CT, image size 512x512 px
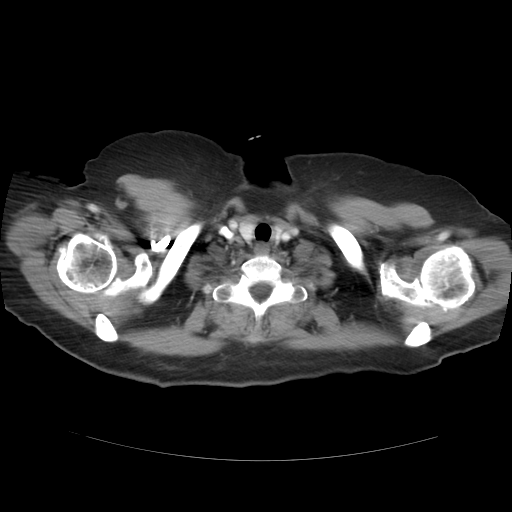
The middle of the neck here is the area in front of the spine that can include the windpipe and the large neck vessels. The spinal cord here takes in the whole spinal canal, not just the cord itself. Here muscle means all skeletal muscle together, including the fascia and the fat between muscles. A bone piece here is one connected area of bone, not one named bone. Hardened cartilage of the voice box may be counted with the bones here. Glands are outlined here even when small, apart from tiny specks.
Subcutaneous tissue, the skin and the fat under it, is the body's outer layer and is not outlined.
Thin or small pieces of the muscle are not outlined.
Outlines:
thyroid glands 1: (243, 220) (254, 220) (256, 221) (256, 224) (253, 230) (253, 237) (251, 239) (249, 243) (247, 242) (244, 239) (244, 238) (241, 235) (240, 233) (240, 230) (239, 229) (239, 224) (240, 222)
thyroid glands 2: (274, 224) (279, 224) (280, 225) (281, 225) (282, 226) (283, 226) (283, 230) (281, 233) (281, 235) (280, 236) (280, 237) (279, 238) (279, 239) (278, 240) (278, 241) (277, 242) (277, 243) (274, 243) (274, 241) (276, 239) (276, 229) (272, 225) (273, 225)
bones 1: (195, 222) (202, 223) (199, 234) (175, 276) (150, 304) (139, 301) (142, 287) (104, 296) (101, 291) (76, 291) (58, 275) (60, 246) (76, 232) (92, 237) (101, 233) (112, 244) (116, 275) (121, 279) (133, 274) (137, 254) (148, 255) (152, 267) (148, 287) (180, 232)
bones 2: (450, 245) (461, 247) (471, 259) (473, 268) (471, 275) (475, 283) (474, 293) (459, 307) (450, 308) (445, 311) (438, 304) (432, 306) (416, 306) (397, 298) (382, 295) (379, 275) (380, 263) (386, 262) (393, 265) (403, 280) (411, 282) (419, 274) (422, 264) (428, 256)
bones 3: (260, 254) (268, 254) (278, 262) (282, 266) (284, 277) (305, 286) (312, 283) (315, 289) (308, 289) (307, 298) (303, 301) (285, 301) (270, 306) (257, 323) (250, 308) (236, 303) (216, 302) (210, 292) (203, 292) (202, 287) (206, 283) (214, 286) (237, 274) (244, 261); inner edge: (260, 282) (264, 282) (265, 283) (266, 283) (271, 287) (271, 289) (270, 290) (270, 292) (269, 293) (269, 294) (263, 300) (262, 300) (261, 301) (258, 301) (257, 300) (256, 300) (252, 296) (252, 295) (250, 292) (250, 288) (255, 284) (256, 284) (257, 283) (259, 283)
bones 4: (331, 223) (337, 223) (345, 227) (353, 234) (353, 235) (357, 240) (358, 243) (361, 247) (361, 249) (363, 253) (363, 264) (364, 265) (364, 268) (361, 271) (359, 271) (355, 268) (350, 266) (350, 265) (345, 259) (342, 252) (327, 231) (327, 227) (328, 225)
bones 5: (418, 321) (425, 321) (429, 325) (430, 327) (430, 329) (431, 330) (431, 336) (432, 338) (428, 342) (422, 345) (420, 345) (417, 347) (409, 347) (408, 346) (406, 346) (404, 344) (404, 340) (406, 336) (410, 332) (411, 329) (417, 323)
bones 6: (99, 313) (102, 313) (104, 314) (110, 320) (110, 321) (112, 323) (118, 335) (118, 338) (116, 341) (114, 342) (106, 342) (100, 339) (95, 334) (95, 318) (97, 314)
middle of the neck: (233, 221) (239, 222) (239, 233) (249, 244) (254, 237) (254, 230) (259, 221) (273, 224) (271, 225) (275, 229) (274, 244) (278, 243) (284, 228) (293, 228) (295, 233) (284, 247) (271, 253) (254, 254) (239, 241) (235, 239) (226, 239) (220, 232) (223, 226)
left arm: (484, 205) (492, 212) (500, 216) (508, 222) (511, 237) (511, 279) (509, 282) (509, 295) (507, 297) (505, 312) (499, 331) (499, 335) (496, 341) (491, 343) (489, 343) (446, 323) (426, 289) (422, 284) (419, 277) (417, 267) (417, 260) (419, 255) (423, 232) (426, 232)
spinal cord: (260, 282) (264, 282) (265, 283) (266, 283) (271, 287) (271, 289) (270, 290) (270, 292) (269, 293) (269, 294) (263, 300) (262, 300) (261, 301) (258, 301) (257, 300) (256, 300) (252, 296) (252, 295) (250, 292) (250, 288) (255, 284) (256, 284) (257, 283) (259, 283)
muscle: (125, 173) (173, 179) (209, 203) (238, 194) (269, 208) (293, 197) (319, 199) (334, 193) (385, 204) (414, 202) (429, 211) (437, 226) (466, 227) (504, 240) (511, 250) (509, 295) (502, 308) (434, 337) (430, 325) (418, 320) (403, 340) (415, 348) (337, 352) (234, 346) (209, 355) (169, 356) (110, 343) (119, 335) (104, 313) (96, 314) (94, 333) (40, 301) (6, 245) (6, 232) (11, 215) (32, 200) (69, 198) (110, 206) (117, 193) (115, 181); inner edges: (195, 222) (202, 223) (199, 234) (175, 276) (150, 304) (139, 301) (142, 287) (104, 296) (101, 291) (76, 291) (58, 275) (60, 246) (76, 232) (92, 237) (101, 233) (112, 244) (116, 275) (121, 279) (133, 274) (137, 254) (148, 255) (152, 267) (148, 287) (180, 232), then (243, 220) (293, 228) (295, 233) (287, 244) (268, 254) (282, 266) (284, 277) (315, 287) (307, 290) (303, 301) (270, 306) (258, 323) (250, 308) (216, 302) (210, 292) (202, 290) (206, 283) (214, 286) (237, 274) (242, 263) (255, 255) (220, 232) (226, 224), then (450, 245) (461, 247) (471, 259) (473, 268) (471, 275) (475, 283) (474, 293) (459, 307) (450, 308) (445, 311) (438, 304) (432, 306) (416, 306) (397, 298) (382, 295) (379, 275) (380, 263) (386, 262) (393, 265) (403, 280) (411, 282) (419, 274) (422, 264) (428, 256), then (331, 223) (337, 223) (345, 227) (353, 234) (353, 235) (357, 240) (358, 243) (361, 247) (361, 249) (363, 253) (363, 264) (364, 265) (364, 268) (361, 271) (359, 271) (355, 268) (350, 266) (350, 265) (345, 259) (342, 252) (327, 231) (327, 227) (328, 225)
right arm: (17, 168) (34, 172) (42, 172) (56, 175) (61, 181) (64, 181) (69, 185) (78, 184) (82, 182) (84, 179) (132, 236) (114, 279) (107, 288) (86, 304) (26, 323) (20, 322) (15, 316) (6, 310) (0, 272) (0, 239) (3, 224) (3, 215) (9, 187) (13, 174)
torso: (162, 129) (215, 140) (241, 155) (262, 184) (289, 180) (282, 156) (325, 151) (455, 179) (483, 205) (422, 232) (418, 277) (447, 325) (489, 344) (411, 375) (330, 374) (240, 388) (162, 388) (64, 352) (24, 324) (97, 297) (133, 237) (84, 178) (84, 163) (117, 138)